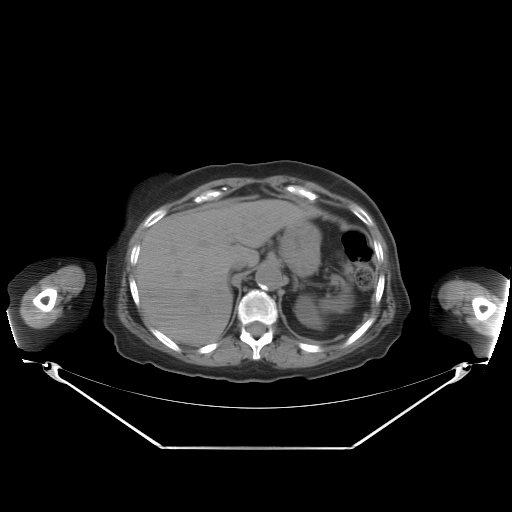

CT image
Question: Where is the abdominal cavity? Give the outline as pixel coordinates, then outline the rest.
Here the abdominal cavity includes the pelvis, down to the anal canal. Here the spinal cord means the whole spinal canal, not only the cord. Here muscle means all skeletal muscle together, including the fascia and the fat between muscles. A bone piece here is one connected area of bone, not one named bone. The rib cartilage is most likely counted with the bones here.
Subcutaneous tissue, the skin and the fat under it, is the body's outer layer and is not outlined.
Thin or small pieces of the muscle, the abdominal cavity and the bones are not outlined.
Answer: {"abdominal_cavity":[[[249,184],[303,197],[349,222],[365,225],[379,275],[368,317],[345,339],[319,343],[290,333],[279,319],[276,303],[284,288],[284,270],[271,262],[258,265],[241,279],[237,319],[217,341],[199,347],[179,345],[144,315],[134,272],[146,228],[170,212]]],"spinal_cord":[[[255,321],[258,321],[259,322],[260,322],[261,323],[264,324],[266,326],[266,329],[265,330],[265,331],[261,335],[260,335],[257,337],[255,337],[254,336],[253,336],[247,330],[247,329],[246,328],[246,326],[248,324],[249,324],[252,322],[254,322]]],"bones":[{"outer":[[252,289],[261,290],[270,296],[275,301],[278,314],[278,318],[272,326],[273,338],[271,342],[265,344],[260,349],[260,358],[257,360],[254,360],[252,358],[252,348],[247,343],[242,341],[239,337],[241,324],[237,318],[237,307],[241,298]],"hole":[[255,321],[258,321],[259,322],[260,322],[261,323],[264,324],[266,326],[266,329],[265,330],[265,331],[261,335],[260,335],[257,337],[255,337],[254,336],[253,336],[247,330],[247,329],[246,328],[246,326],[248,324],[249,324],[252,322],[254,322]]},[[46,287],[55,287],[57,290],[57,296],[56,297],[55,304],[52,308],[52,309],[50,311],[48,311],[47,312],[44,312],[43,311],[41,311],[36,306],[35,306],[33,304],[32,302],[32,300],[33,298],[38,293],[39,293],[44,288]],[[479,298],[483,298],[487,301],[492,303],[494,305],[494,310],[493,311],[492,311],[485,318],[484,318],[483,319],[477,319],[476,318],[476,317],[474,314],[474,311],[473,310],[472,305],[471,304],[471,301],[472,300],[472,299],[478,299]],[[369,317],[374,317],[374,321],[372,323],[372,324],[364,332],[364,333],[362,335],[361,335],[356,340],[355,340],[352,343],[351,343],[349,345],[348,345],[345,347],[342,347],[342,345],[343,344],[343,343],[345,341],[345,340],[353,332],[354,332]],[[287,185],[297,185],[298,186],[301,186],[305,189],[307,190],[309,190],[315,193],[318,196],[318,197],[315,200],[313,201],[311,201],[309,199],[303,196],[301,196],[297,194],[294,194],[293,193],[291,193],[285,190],[285,187]],[[223,186],[225,186],[227,188],[227,189],[223,192],[223,194],[222,195],[220,196],[218,196],[217,197],[215,197],[212,199],[209,199],[205,201],[202,201],[199,203],[196,203],[194,202],[193,199],[196,196],[208,190],[211,190],[212,189],[219,189]],[[150,327],[153,327],[157,329],[160,332],[161,332],[163,334],[167,336],[170,339],[171,339],[174,342],[175,342],[180,347],[181,349],[181,351],[179,352],[178,351],[176,351],[168,347],[162,342],[161,342],[150,331],[149,329]],[[350,205],[357,205],[358,206],[359,206],[360,207],[361,207],[369,215],[369,216],[371,218],[371,219],[372,220],[372,221],[373,222],[373,224],[371,226],[368,226],[367,225],[366,225],[357,216],[356,216],[350,210],[350,208],[349,207],[350,206]],[[160,208],[163,208],[164,209],[165,209],[167,212],[166,213],[166,214],[165,215],[164,215],[163,216],[163,217],[162,217],[155,223],[150,225],[148,227],[144,227],[143,226],[143,223],[146,219],[146,218],[155,210],[156,210],[157,209],[159,209]],[[381,274],[382,274],[384,276],[384,288],[383,289],[383,293],[382,294],[382,296],[381,297],[381,298],[380,299],[379,302],[378,303],[376,303],[375,302],[375,291],[376,290],[376,287],[377,286],[377,283],[378,282],[378,278],[379,277],[379,276]],[[299,342],[304,342],[305,343],[309,343],[310,344],[316,344],[317,345],[319,345],[320,346],[321,346],[322,347],[323,350],[322,351],[320,351],[319,352],[307,352],[306,351],[305,351],[304,350],[301,349],[298,346],[298,343]],[[130,278],[133,278],[135,280],[135,283],[136,284],[136,286],[137,287],[137,291],[138,292],[138,296],[139,297],[139,306],[137,306],[135,304],[135,303],[132,298],[132,296],[131,295],[131,293],[130,292],[130,288],[129,287],[129,280],[130,279]],[[374,240],[376,240],[377,241],[378,241],[380,243],[380,244],[381,245],[381,247],[382,248],[382,251],[383,252],[383,261],[382,262],[379,262],[377,260],[377,258],[376,257],[376,255],[375,254],[375,252],[374,251],[374,247],[373,246],[373,241]],[[136,244],[139,244],[139,253],[138,254],[138,256],[137,257],[137,261],[136,262],[136,263],[135,264],[135,265],[132,265],[131,264],[131,263],[130,262],[130,256],[131,255],[131,251],[132,250],[132,248],[133,247],[133,246],[134,245],[135,245]],[[214,342],[216,342],[217,343],[217,346],[216,348],[212,351],[210,352],[208,352],[207,353],[200,353],[198,352],[197,350],[198,348],[202,346],[204,346],[207,344],[209,344],[210,343],[213,343]]],"mediastinum":[[[267,263],[276,264],[283,270],[283,273],[284,274],[283,288],[279,292],[277,301],[265,291],[258,288],[252,288],[243,295],[242,288],[241,287],[242,279],[249,274],[250,272],[252,272],[255,270],[258,266],[261,266],[262,264],[266,264]],[[318,202],[329,204],[332,206],[335,206],[338,208],[341,208],[344,210],[351,212],[361,221],[361,223],[360,222],[357,223],[353,221],[349,221],[343,215],[340,215],[338,213],[334,213],[333,211],[330,211],[329,209],[327,209],[322,205],[320,205]]],"right_arm":[[[55,255],[84,256],[94,262],[97,271],[97,287],[90,317],[87,322],[78,329],[71,333],[62,335],[44,349],[35,352],[25,351],[20,349],[17,345],[16,336],[14,335],[10,316],[7,311],[7,304],[9,300],[6,294],[7,283],[26,265]]],"torso":[[[282,159],[321,166],[347,177],[363,188],[384,214],[396,243],[411,306],[401,335],[387,353],[359,367],[314,379],[244,383],[187,376],[121,356],[103,326],[100,301],[106,250],[116,234],[117,208],[126,190],[144,175],[166,168],[187,170],[210,164]]],"left_arm":[[[465,265],[479,265],[489,267],[500,272],[506,278],[504,295],[500,302],[500,308],[495,322],[492,339],[486,356],[483,357],[476,357],[473,355],[470,347],[465,342],[440,333],[431,325],[428,317],[429,295],[430,290],[435,280],[443,273],[454,268]]],"muscle":[{"outer":[[273,175],[290,175],[313,181],[358,203],[373,217],[387,245],[390,284],[395,302],[392,321],[364,345],[337,359],[314,366],[275,368],[270,362],[258,360],[261,358],[261,349],[272,342],[273,326],[278,319],[293,336],[319,344],[333,344],[344,340],[342,348],[356,341],[373,324],[375,317],[369,316],[374,302],[378,304],[383,296],[385,276],[379,274],[377,265],[384,261],[382,245],[378,240],[372,240],[366,226],[374,224],[370,215],[357,204],[350,204],[349,211],[329,203],[314,201],[319,196],[297,184],[287,184],[284,187],[290,193],[267,184],[249,183],[225,194],[228,188],[223,185],[196,195],[192,199],[193,204],[169,212],[163,207],[157,208],[212,180]],"hole":[[299,342],[304,342],[305,343],[312,343],[313,344],[314,343],[317,345],[319,345],[320,346],[321,346],[322,347],[323,350],[322,351],[320,351],[319,352],[307,352],[306,351],[305,351],[304,350],[301,349],[298,346],[298,343]]},[[152,211],[142,223],[145,231],[139,243],[131,248],[129,262],[134,266],[134,271],[133,277],[128,280],[129,292],[134,304],[141,308],[151,325],[148,328],[149,331],[161,343],[176,352],[182,351],[181,346],[197,348],[198,353],[207,354],[217,348],[218,340],[231,331],[237,320],[240,324],[238,337],[251,348],[253,360],[240,366],[205,366],[188,363],[148,345],[120,321],[116,312],[117,300],[128,242],[140,222]],{"outer":[[70,264],[74,264],[81,267],[85,273],[85,282],[81,291],[76,296],[74,296],[71,299],[69,303],[63,309],[60,316],[53,324],[51,324],[47,327],[41,329],[36,329],[28,326],[23,321],[19,313],[20,301],[25,291],[44,276],[63,266]],"hole":[[46,287],[55,287],[57,290],[57,296],[56,297],[55,304],[52,308],[52,309],[50,311],[48,311],[47,312],[44,312],[43,311],[41,311],[36,306],[35,306],[33,304],[32,302],[32,300],[33,298],[38,293],[39,293],[44,288]]},{"outer":[[449,280],[469,280],[470,281],[477,282],[500,301],[500,308],[495,322],[494,332],[492,335],[485,335],[475,331],[470,327],[468,324],[467,325],[463,322],[458,321],[457,318],[449,310],[446,310],[441,306],[438,299],[438,291],[439,288],[445,282]],"hole":[[479,298],[483,298],[487,301],[492,303],[494,305],[494,310],[493,311],[492,311],[485,318],[484,318],[483,319],[477,319],[476,318],[476,317],[474,314],[474,311],[473,310],[472,305],[471,304],[471,301],[472,300],[472,299],[478,299]]}]}